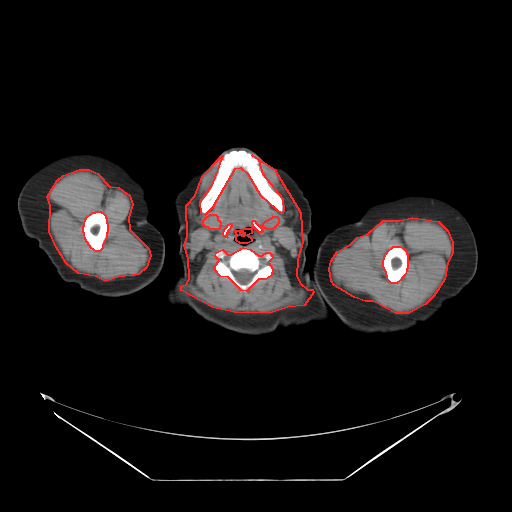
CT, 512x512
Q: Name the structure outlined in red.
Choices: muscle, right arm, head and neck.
A: red: muscle.
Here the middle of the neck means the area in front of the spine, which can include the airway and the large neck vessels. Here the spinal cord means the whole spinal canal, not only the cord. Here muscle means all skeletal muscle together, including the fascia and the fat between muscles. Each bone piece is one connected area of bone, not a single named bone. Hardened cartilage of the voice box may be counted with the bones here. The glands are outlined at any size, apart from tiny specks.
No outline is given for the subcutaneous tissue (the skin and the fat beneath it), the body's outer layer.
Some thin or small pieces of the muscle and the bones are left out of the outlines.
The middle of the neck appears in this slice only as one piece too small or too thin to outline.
The muscle appears in 3 outlined pieces: piece 1: (222, 155) (211, 185) (199, 202) (200, 212) (205, 214) (213, 206) (235, 168) (240, 167) (247, 173) (260, 195) (281, 213) (284, 210) (283, 199) (263, 174) (259, 160) (252, 155) (274, 169) (300, 212) (302, 242) (297, 259) (296, 276) (300, 283) (307, 289) (312, 289) (313, 292) (304, 305) (287, 307) (269, 313) (234, 312) (212, 307) (181, 290) (181, 286) (187, 283) (189, 278) (188, 258) (184, 245) (187, 236) (186, 205) (195, 195) (202, 176); inner edges: (243, 247) (250, 249) (258, 255) (262, 255) (266, 252) (269, 252) (273, 257) (268, 262) (272, 268) (271, 275) (265, 279) (258, 279) (246, 291) (241, 290) (228, 277) (220, 276) (215, 270) (215, 265) (219, 260) (215, 256) (216, 252) (222, 249) (227, 254) (231, 254), then (210, 214) (215, 214) (217, 216) (217, 219) (218, 220) (219, 220) (219, 221) (220, 222) (220, 225) (219, 226) (219, 228) (218, 229) (210, 229) (208, 227) (206, 227) (203, 224) (203, 220) (207, 216) (208, 216), then (244, 228) (251, 228) (251, 233) (247, 235) (251, 238) (251, 241) (247, 243) (240, 243) (236, 240) (236, 236) (237, 235) (235, 232) (235, 230) (240, 230) (241, 232) (239, 233) (241, 235) (244, 235) (245, 234) (245, 233) (243, 232) (243, 230), then (273, 216) (276, 216) (278, 218) (278, 220) (279, 221) (278, 222) (278, 223) (277, 224) (277, 225) (276, 225) (275, 226) (275, 227) (274, 227) (272, 229) (267, 229) (266, 228) (265, 228) (263, 226) (263, 223) (266, 220) (268, 220) (270, 218) (271, 218), then (253, 220) (254, 220) (255, 221) (255, 222) (261, 228) (261, 229) (262, 230) (262, 231) (261, 232) (259, 232) (253, 226) (253, 225) (252, 224) (252, 221), then (230, 223) (231, 223) (231, 226) (230, 227) (230, 228) (227, 231) (227, 232) (226, 233) (226, 236) (227, 237) (225, 237) (223, 235) (223, 231) (224, 230) (224, 229) (227, 226) (227, 225) (228, 224) (229, 224); piece 2: (412, 217) (438, 221) (447, 230) (452, 242) (452, 253) (447, 262) (444, 279) (433, 296) (425, 304) (408, 313) (395, 313) (373, 301) (365, 301) (354, 297) (334, 285) (331, 281) (329, 268) (331, 260) (337, 251) (350, 244) (357, 237) (368, 233) (383, 220) (399, 220) with a hole at (393, 246) (400, 246) (402, 247) (406, 251) (406, 253) (407, 254) (407, 268) (406, 269) (406, 271) (404, 275) (401, 278) (401, 279) (396, 283) (391, 283) (388, 280) (387, 276) (386, 275) (386, 272) (383, 267) (383, 259) (384, 258) (384, 256) (387, 252) (387, 251); piece 3: (79, 169) (89, 169) (97, 173) (109, 186) (118, 187) (129, 195) (132, 204) (128, 217) (129, 229) (148, 248) (150, 255) (146, 267) (138, 274) (117, 277) (105, 281) (95, 276) (78, 273) (66, 263) (56, 247) (49, 231) (50, 205) (47, 196) (57, 180) (63, 175) with a hole at (96, 211) (100, 211) (105, 215) (105, 217) (106, 218) (106, 222) (107, 223) (107, 232) (106, 233) (106, 237) (102, 244) (102, 248) (99, 251) (96, 251) (91, 248) (85, 239) (84, 233) (83, 232) (83, 226) (84, 225) (85, 219) (87, 216) (93, 212) (95, 212). The spinal cord is outlined by (241, 269) (246, 269) (247, 270) (249, 270) (251, 272) (254, 272) (254, 274) (252, 276) (252, 277) (247, 282) (246, 282) (245, 283) (242, 283) (241, 282) (240, 282) (235, 277) (235, 276) (234, 275) (234, 274) (233, 273) (233, 271) (238, 271) (239, 270) (240, 270). The left arm is outlined by (406, 195) (426, 195) (442, 199) (464, 215) (472, 228) (478, 250) (477, 269) (473, 278) (458, 295) (446, 301) (433, 317) (405, 331) (389, 334) (362, 334) (346, 328) (333, 313) (331, 314) (331, 322) (314, 277) (313, 261) (320, 242) (333, 228) (357, 221) (368, 207). The head and neck is outlined by (233, 144) (258, 151) (266, 160) (287, 171) (301, 186) (312, 211) (312, 227) (305, 252) (306, 268) (310, 273) (313, 269) (330, 323) (311, 323) (279, 328) (270, 334) (249, 335) (222, 328) (186, 306) (173, 307) (162, 300) (182, 273) (174, 199) (195, 173); inner edge: (244, 228) (251, 228) (251, 233) (247, 235) (251, 238) (251, 241) (247, 243) (240, 243) (236, 240) (236, 236) (237, 235) (235, 231) (236, 230) (240, 230) (241, 232) (239, 233) (241, 235) (244, 235) (245, 234) (245, 233) (243, 232) (243, 230). The submandibular glands appear in 2 outlined pieces: piece 1: (210, 214) (215, 214) (217, 216) (217, 219) (218, 220) (219, 220) (219, 221) (220, 222) (220, 225) (219, 226) (219, 228) (218, 229) (210, 229) (208, 227) (206, 227) (203, 224) (203, 220) (207, 216) (208, 216); piece 2: (273, 216) (276, 216) (278, 218) (278, 220) (279, 221) (278, 222) (278, 223) (277, 224) (277, 225) (276, 225) (275, 226) (275, 227) (274, 227) (272, 229) (267, 229) (266, 228) (265, 228) (263, 226) (263, 223) (266, 220) (268, 220) (270, 218) (271, 218). The bones appear in 5 outlined pieces: piece 1: (241, 149) (245, 150) (258, 160) (258, 165) (262, 174) (271, 188) (282, 199) (283, 210) (281, 212) (276, 210) (261, 195) (248, 173) (240, 166) (234, 168) (212, 206) (205, 213) (201, 212) (200, 202) (212, 185) (218, 172) (219, 161) (223, 158) (223, 155) (226, 152); piece 2: (243, 247) (250, 249) (258, 255) (262, 255) (266, 252) (269, 252) (273, 257) (268, 262) (272, 268) (271, 275) (265, 279) (258, 279) (246, 291) (241, 290) (228, 277) (220, 276) (215, 270) (215, 265) (219, 260) (215, 256) (216, 252) (222, 249) (227, 254) (231, 254), around a hole outlined by (241, 269) (246, 269) (247, 270) (249, 270) (251, 272) (254, 272) (254, 274) (252, 276) (252, 277) (247, 282) (246, 282) (245, 283) (242, 283) (241, 282) (240, 282) (235, 277) (235, 276) (234, 275) (234, 274) (233, 273) (233, 271) (238, 271) (239, 270) (240, 270); piece 3: (96, 211) (100, 211) (105, 215) (105, 217) (106, 218) (106, 222) (107, 223) (107, 232) (106, 233) (106, 237) (102, 244) (102, 248) (99, 251) (96, 251) (91, 248) (85, 239) (84, 233) (83, 232) (83, 226) (84, 225) (85, 219) (87, 216) (93, 212) (95, 212); piece 4: (393, 246) (400, 246) (402, 247) (406, 251) (406, 253) (407, 254) (407, 268) (406, 269) (406, 271) (404, 275) (401, 278) (401, 279) (396, 283) (391, 283) (388, 280) (387, 276) (386, 275) (386, 272) (383, 267) (383, 259) (384, 258) (384, 256) (387, 252) (387, 251); piece 5: (253, 220) (254, 220) (255, 221) (255, 222) (261, 228) (261, 229) (262, 230) (262, 231) (261, 232) (259, 232) (253, 226) (253, 225) (252, 224) (252, 221). The right arm is outlined by (76, 152) (98, 153) (121, 164) (144, 188) (149, 210) (148, 220) (160, 230) (164, 238) (164, 265) (159, 277) (131, 295) (98, 296) (82, 290) (75, 283) (63, 281) (46, 254) (38, 247) (37, 241) (26, 236) (22, 229) (17, 211) (17, 198) (24, 183) (51, 160).